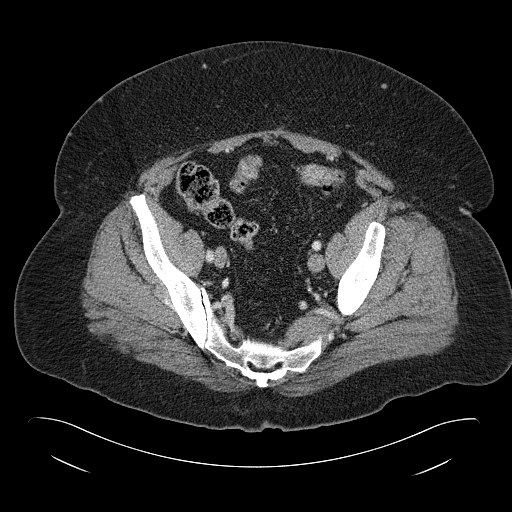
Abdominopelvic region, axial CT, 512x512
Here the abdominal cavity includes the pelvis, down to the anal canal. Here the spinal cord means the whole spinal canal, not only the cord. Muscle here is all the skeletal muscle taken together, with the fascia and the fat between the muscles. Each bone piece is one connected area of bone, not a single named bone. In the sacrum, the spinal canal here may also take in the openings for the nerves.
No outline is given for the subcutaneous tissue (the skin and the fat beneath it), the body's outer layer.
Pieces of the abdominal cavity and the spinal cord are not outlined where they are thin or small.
Outlines (x, y in pixels):
torso: [[246,40],[371,57],[431,88],[468,124],[494,179],[491,202],[473,216],[496,245],[511,284],[511,366],[499,379],[448,383],[341,423],[247,432],[160,418],[25,361],[14,333],[15,287],[28,255],[59,213],[54,168],[72,125],[104,92],[139,71]]
bones 1: [[141,193],[169,260],[205,289],[219,327],[232,345],[247,338],[281,341],[285,349],[292,349],[319,334],[324,343],[332,331],[332,340],[304,372],[288,370],[269,380],[267,387],[258,387],[253,379],[196,344],[146,259],[140,224],[129,203],[131,196]] with a hole at [[251,366],[252,366],[253,367],[255,367],[256,368],[261,368],[262,369],[268,369],[269,368],[271,368],[272,367],[275,367],[275,368],[273,370],[272,370],[271,371],[267,371],[266,372],[265,371],[255,371],[254,370],[253,370],[251,368]]
bones 2: [[374,220],[380,222],[385,227],[385,237],[384,238],[383,249],[381,253],[380,267],[377,276],[371,288],[359,307],[351,314],[343,316],[342,313],[336,307],[336,294],[337,293],[338,283],[342,274],[360,251],[363,245],[365,237],[365,232],[370,222]]
abdominal cavity: [[263,137],[280,137],[304,153],[349,162],[356,169],[358,188],[369,198],[343,232],[334,233],[326,244],[325,261],[338,281],[335,306],[299,317],[276,343],[245,338],[218,322],[206,289],[193,280],[204,262],[204,243],[158,198],[191,154],[221,154]]
muscle 1: [[278,126],[358,153],[435,222],[446,238],[458,291],[453,343],[436,354],[367,367],[308,395],[288,397],[268,387],[288,371],[304,373],[334,338],[331,330],[324,342],[319,333],[305,344],[285,348],[282,340],[296,320],[319,308],[335,307],[344,317],[360,307],[378,276],[386,237],[385,225],[370,221],[359,251],[336,279],[326,261],[327,244],[344,232],[370,198],[359,188],[357,169],[349,161],[304,152],[280,136],[252,137],[221,153],[193,152],[159,192],[163,209],[197,232],[203,243],[203,262],[193,279],[170,260],[146,194],[128,199],[145,259],[166,288],[183,328],[201,350],[257,387],[213,390],[113,350],[90,333],[79,297],[92,240],[134,175],[174,151]]
muscle 2: [[220,322],[223,322],[227,324],[232,328],[234,328],[238,330],[240,332],[241,332],[243,334],[244,340],[242,340],[240,337],[237,336],[235,334],[231,332],[228,333],[227,335],[227,334],[224,331],[224,330],[220,327],[220,325],[219,324]]
spinal cord: [[230,333],[240,338],[241,340],[241,342],[240,344],[238,345],[236,344],[234,345],[232,344],[228,340],[227,338],[227,336],[228,334]]